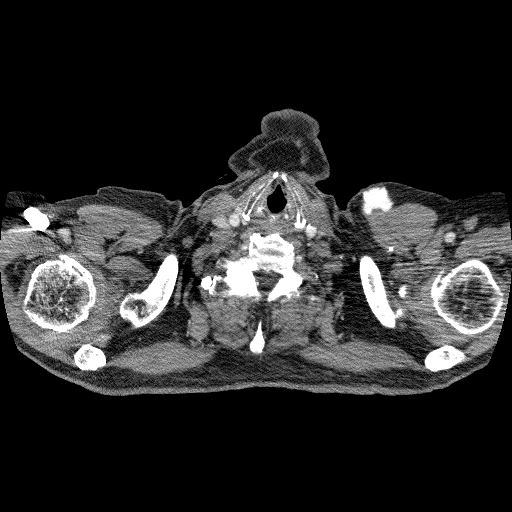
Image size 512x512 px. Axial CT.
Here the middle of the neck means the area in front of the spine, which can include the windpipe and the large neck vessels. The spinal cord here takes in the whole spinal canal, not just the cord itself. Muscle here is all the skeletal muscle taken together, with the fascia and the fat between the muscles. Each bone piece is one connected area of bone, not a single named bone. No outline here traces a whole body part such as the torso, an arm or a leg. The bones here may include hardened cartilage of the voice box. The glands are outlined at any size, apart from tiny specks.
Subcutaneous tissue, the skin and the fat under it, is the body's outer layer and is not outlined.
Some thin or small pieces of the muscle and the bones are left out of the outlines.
Outlined structures:
middle of the neck: 275,180 283,182 291,198 286,205 291,208 293,202 295,206 294,228 300,231 309,222 319,227 311,239 299,233 283,237 278,231 261,233 250,227 227,229 213,223 218,214 237,214 240,222 248,226 257,202
spinal cord: 258,271 263,271 265,274 268,274 270,272 273,272 274,273 276,273 280,276 273,285 273,287 266,293 266,296 265,297 263,297 262,296 262,294 258,289 259,282 256,279 256,276 255,275 255,272 257,272
bones 1: 59,254 65,254 77,260 84,266 92,274 93,282 96,288 96,302 95,305 90,309 88,318 66,332 57,332 49,328 42,328 32,322 24,313 21,307 22,299 30,275 30,271 37,264 48,258 56,258
bones 2: 253,232 262,235 278,232 287,241 293,243 294,268 305,278 295,296 282,296 268,304 257,305 248,298 235,295 224,298 211,295 199,286 203,277 225,273 225,270 216,263 219,257 235,260 246,256 249,235 with a hole at 258,271 263,271 265,274 268,274 270,272 273,272 274,273 276,273 280,276 273,285 273,287 266,293 266,296 265,297 263,297 262,296 262,294 258,289 259,282 256,279 256,276 255,275 255,272 257,272
bones 3: 469,258 478,258 487,264 493,277 504,293 498,320 496,320 485,330 470,335 459,333 436,314 435,310 431,305 432,299 430,293 433,280 442,268 445,268 445,270 447,271 451,267
bones 4: 170,252 174,253 175,257 179,263 178,264 178,271 171,295 163,309 154,319 141,327 134,328 128,320 122,318 119,314 118,312 119,311 119,304 127,293 129,292 140,293 148,286 155,276 159,265 163,258
bones 5: 362,255 370,255 373,258 379,269 382,283 384,286 389,304 392,309 395,310 396,316 398,318 395,321 395,327 394,328 388,328 383,326 372,312 366,300 361,283 358,267 358,260 359,257
bones 6: 274,171 286,173 288,185 297,197 299,203 296,204 301,207 306,221 302,229 294,226 296,206 293,201 290,202 291,207 287,205 288,199 291,201 292,198 279,178 256,202 249,220 243,215 248,198 268,181
bones 7: 444,344 451,345 456,348 460,349 464,353 465,355 465,359 462,362 458,363 450,368 447,368 446,369 443,369 442,370 439,370 434,372 432,372 425,368 424,366 424,358 428,352 435,348 440,347
bones 8: 86,343 90,343 93,346 95,347 97,347 101,349 103,351 105,355 105,357 106,358 106,364 105,366 103,367 101,367 100,368 92,368 91,369 80,369 74,364 74,357 73,356 74,353 83,344 85,344
bones 9: 259,319 261,319 262,320 262,331 263,332 263,336 264,337 264,340 265,341 265,343 262,349 262,351 258,354 255,354 253,353 250,350 249,348 249,343 252,339 255,333 255,330 257,326 257,322
thyroid glands: 238,207 240,207 242,209 241,210 241,212 242,213 242,215 243,216 243,217 248,222 248,225 247,225 246,226 245,225 244,225 241,222 241,218 240,217 240,216 237,213 234,213 234,209 235,209
muscle: 280,135 308,150 308,161 288,172 323,198 341,229 358,232 368,210 407,202 433,209 437,224 508,218 511,277 487,351 461,363 465,353 444,343 423,358 431,372 345,373 290,354 257,355 266,343 259,318 248,343 254,354 147,373 101,368 106,355 90,342 73,353 75,368 11,329 0,238 24,211 105,203 169,226 256,176 248,157, around holes outlined by 274,171 286,173 306,223 319,227 311,239 299,233 284,237 293,243 294,268 305,279 295,296 265,305 235,295 211,295 200,280 225,273 216,263 219,257 246,256 253,232 250,227 217,227 213,218 242,209 and by 59,254 65,254 77,260 84,266 92,274 93,282 96,288 96,302 95,305 90,309 88,318 66,332 57,332 49,328 42,328 32,322 24,313 21,307 22,299 30,275 30,271 37,264 48,258 56,258 and by 469,258 478,258 487,264 493,277 504,293 498,320 496,320 485,330 470,335 459,333 436,314 435,310 431,305 432,299 430,293 433,280 442,268 445,268 445,270 447,271 451,267 and by 170,252 174,253 175,257 179,263 178,264 178,271 171,295 163,309 154,319 141,327 134,328 128,320 122,318 119,314 118,312 119,311 119,304 127,293 129,292 140,293 148,286 155,276 159,265 163,258 and by 362,255 370,255 373,258 379,269 382,283 384,286 389,304 392,309 395,310 396,316 398,318 395,321 395,327 394,328 388,328 383,326 372,312 366,300 361,283 359,268 357,265 359,257